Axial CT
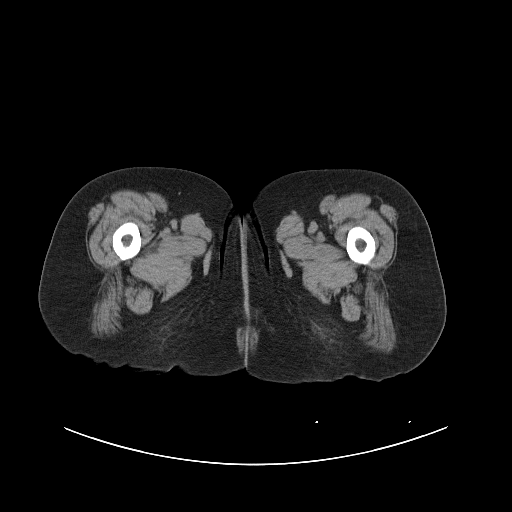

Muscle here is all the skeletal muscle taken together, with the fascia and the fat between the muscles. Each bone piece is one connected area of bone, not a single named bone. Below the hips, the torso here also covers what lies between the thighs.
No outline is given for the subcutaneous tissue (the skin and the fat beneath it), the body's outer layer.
Outlined structures:
left leg: [[346,167],[369,169],[394,178],[420,206],[431,232],[445,291],[446,319],[441,335],[419,366],[408,373],[381,381],[347,376],[335,382],[289,385],[267,383],[250,377],[247,373],[248,322],[245,308],[264,266],[264,246],[248,209],[266,184],[284,174]]
bones 1: [[357,225],[361,226],[368,230],[372,235],[375,242],[375,246],[376,247],[376,249],[375,250],[375,252],[374,253],[373,257],[369,261],[369,263],[368,264],[360,264],[353,261],[349,257],[346,250],[346,238],[347,237],[347,233],[350,228]]
bones 2: [[128,221],[131,221],[135,223],[137,225],[139,229],[139,232],[140,233],[140,236],[141,237],[141,246],[138,253],[136,255],[131,258],[129,258],[125,260],[121,260],[113,249],[113,247],[112,246],[112,236],[113,235],[114,231],[121,224]]
muscle 1: [[134,184],[164,190],[180,207],[203,215],[213,229],[214,252],[207,275],[172,301],[138,321],[122,334],[107,340],[94,337],[90,327],[92,308],[96,300],[100,285],[100,278],[96,268],[89,260],[87,255],[85,245],[86,216],[94,200],[113,189]], around a hole outlined by [[128,221],[131,221],[135,223],[137,225],[139,229],[139,232],[140,233],[140,236],[141,237],[141,246],[138,253],[136,255],[131,258],[129,258],[125,260],[121,260],[113,249],[113,247],[112,246],[112,236],[113,235],[114,231],[121,224]]
muscle 2: [[341,190],[367,191],[389,202],[397,212],[397,218],[399,221],[397,252],[386,277],[396,336],[395,347],[390,353],[373,350],[365,346],[325,307],[290,281],[286,277],[282,266],[275,239],[275,230],[283,215],[290,210],[308,210],[315,206],[325,195]], around a hole outlined by [[357,225],[361,226],[368,230],[372,235],[375,242],[375,246],[376,247],[376,249],[375,250],[375,252],[374,253],[373,257],[369,261],[369,263],[368,264],[360,264],[353,261],[349,257],[346,250],[346,238],[347,237],[347,233],[350,228]]
torso: [[236,209],[241,216],[248,210],[250,218],[255,228],[255,231],[257,233],[257,235],[263,246],[263,266],[253,290],[253,293],[250,297],[250,300],[245,307],[236,295],[230,283],[225,268],[226,235],[229,229],[229,225],[233,217],[233,214]]
right leg: [[130,166],[194,171],[213,179],[229,194],[235,209],[225,235],[224,268],[244,307],[246,371],[196,378],[175,367],[158,375],[126,371],[125,367],[108,368],[103,364],[92,365],[88,359],[67,352],[50,335],[39,310],[38,287],[58,218],[85,183]]